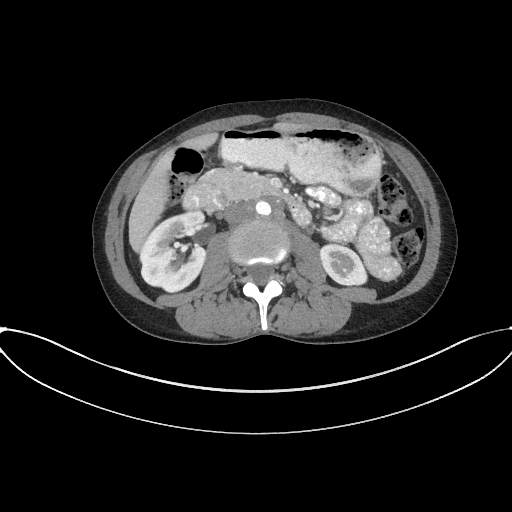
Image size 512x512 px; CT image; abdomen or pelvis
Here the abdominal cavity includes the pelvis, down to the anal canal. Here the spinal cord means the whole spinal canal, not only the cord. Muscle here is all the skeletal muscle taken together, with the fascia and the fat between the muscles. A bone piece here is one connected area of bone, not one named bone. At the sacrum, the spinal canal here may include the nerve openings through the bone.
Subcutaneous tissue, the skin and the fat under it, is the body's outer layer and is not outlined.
{"spinal_cord":[[[259,286],[263,286],[270,279],[271,279],[273,277],[273,276],[275,273],[275,265],[269,265],[268,264],[264,264],[263,263],[256,263],[255,264],[253,264],[250,266],[247,266],[246,267],[246,274],[248,276],[248,279],[249,280],[254,282]]],"torso":[[[201,345],[232,344],[259,335],[307,344],[350,343],[392,333],[422,318],[442,295],[458,247],[450,199],[425,156],[382,121],[341,103],[309,97],[209,106],[172,124],[133,151],[110,177],[94,210],[91,237],[97,277],[112,307],[138,330],[169,341]]],"abdominal_cavity":[[[152,298],[194,287],[212,236],[255,219],[281,228],[288,219],[317,242],[329,283],[370,286],[379,297],[388,295],[405,285],[421,263],[425,249],[421,206],[387,153],[363,134],[344,127],[267,121],[187,138],[159,157],[126,214],[126,261],[139,286]]],"bones":[{"outer":[[263,330],[267,329],[266,314],[268,304],[272,298],[282,292],[284,283],[277,266],[288,254],[289,238],[276,225],[255,220],[233,232],[230,252],[233,260],[244,271],[244,275],[241,278],[243,282],[243,294],[253,298],[258,304],[261,328]],"hole":[[259,286],[263,286],[270,279],[271,279],[273,277],[273,276],[275,273],[275,265],[269,265],[268,264],[264,264],[263,263],[256,263],[255,264],[253,264],[250,266],[247,266],[246,267],[246,274],[248,276],[248,279],[249,280],[254,282]]}],"muscle":[[[213,339],[242,337],[262,330],[256,302],[241,292],[243,271],[229,252],[232,231],[213,236],[198,284],[184,293],[150,298],[125,261],[125,214],[160,155],[176,142],[202,132],[267,120],[344,126],[363,133],[388,153],[422,206],[426,227],[422,263],[405,286],[388,296],[379,298],[370,287],[333,286],[326,281],[317,243],[285,221],[282,229],[290,238],[290,250],[278,266],[285,284],[283,292],[269,304],[266,330],[315,337],[341,329],[355,304],[400,299],[419,290],[432,277],[440,253],[439,206],[430,180],[413,154],[359,124],[322,114],[287,112],[271,117],[242,114],[211,120],[135,159],[120,178],[107,212],[104,248],[113,277],[132,296],[173,313],[185,332]]]}